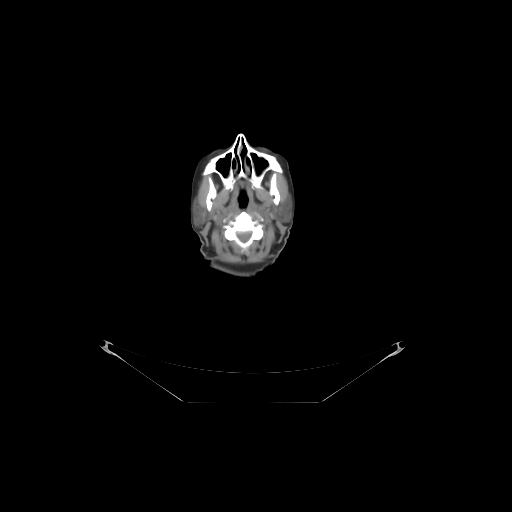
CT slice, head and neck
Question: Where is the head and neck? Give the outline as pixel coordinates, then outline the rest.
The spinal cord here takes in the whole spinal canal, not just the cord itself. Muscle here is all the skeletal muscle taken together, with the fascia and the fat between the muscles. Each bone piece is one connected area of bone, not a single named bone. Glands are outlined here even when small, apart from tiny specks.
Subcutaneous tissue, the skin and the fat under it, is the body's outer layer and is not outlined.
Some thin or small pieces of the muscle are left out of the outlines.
Answer: The head and neck is outlined by [[238,135],[242,135],[250,146],[265,145],[285,156],[290,165],[296,199],[293,223],[286,245],[272,265],[256,276],[249,278],[234,277],[208,266],[208,261],[202,257],[199,249],[200,241],[191,227],[189,211],[191,180],[196,162],[216,148],[231,146]]; inner edges: [[228,155],[230,155],[230,157],[229,158],[229,165],[228,166],[228,171],[227,172],[227,174],[226,175],[224,175],[218,169],[217,166],[218,165],[218,162],[220,160],[221,160],[222,159],[225,158],[226,157],[226,156],[227,156]], then [[253,155],[254,155],[257,158],[258,158],[259,159],[261,159],[262,160],[263,160],[266,163],[266,165],[261,170],[261,171],[259,173],[257,173],[257,172],[256,171],[256,166],[255,165],[255,162],[254,161],[254,160],[253,159]], then [[242,194],[243,194],[243,195],[244,196],[245,196],[245,197],[246,198],[246,202],[245,203],[245,204],[242,204],[240,202],[240,197],[242,195]]. The bones appear in 2 outlined pieces: piece 1: [[238,135],[256,150],[276,157],[283,170],[276,174],[279,203],[274,204],[269,193],[273,172],[270,170],[261,182],[262,188],[253,188],[242,179],[232,189],[224,189],[220,178],[212,173],[216,195],[208,211],[208,176],[202,172],[207,162],[227,150]], around holes outlined by [[228,155],[230,155],[230,157],[229,158],[229,165],[228,166],[228,171],[227,172],[227,174],[226,175],[224,175],[218,169],[217,166],[218,165],[218,162],[220,160],[221,160],[222,159],[225,158],[226,157],[226,156],[227,156]] and by [[253,155],[254,155],[257,158],[258,158],[259,159],[261,159],[262,160],[263,160],[266,163],[266,165],[261,170],[261,171],[259,173],[257,173],[257,172],[256,171],[256,166],[255,165],[255,162],[254,161],[254,160],[253,159]]; piece 2: [[243,210],[249,213],[254,219],[257,217],[257,214],[263,219],[261,222],[263,235],[259,240],[254,240],[251,243],[247,249],[247,254],[243,253],[242,249],[233,240],[228,240],[224,236],[225,229],[223,226],[225,223],[223,220],[225,218],[232,220]] with a hole at [[242,232],[250,232],[250,236],[245,241],[243,241],[242,240],[241,240],[238,237],[238,236],[237,235],[237,234],[238,233],[241,233]]. The muscle appears in 3 outlined pieces: piece 1: [[270,171],[268,193],[273,197],[273,204],[269,207],[286,227],[281,241],[262,262],[234,264],[214,259],[214,253],[200,232],[209,220],[208,212],[217,195],[211,175],[219,178],[224,190],[232,190],[242,180],[249,182],[253,189],[262,189],[262,182]]; inner edge: [[243,210],[249,213],[254,219],[257,217],[257,214],[263,219],[261,222],[263,235],[259,240],[254,240],[251,243],[247,249],[247,254],[243,253],[242,249],[233,240],[228,240],[224,236],[225,229],[223,226],[225,223],[223,220],[225,218],[232,220]]; piece 2: [[207,160],[208,160],[204,165],[201,174],[203,176],[207,176],[208,187],[204,199],[205,206],[201,206],[198,204],[198,198],[196,195],[198,190],[198,184],[200,180],[200,173],[202,169],[202,166]]; piece 3: [[284,170],[284,174],[285,175],[285,177],[287,181],[287,186],[288,187],[288,191],[289,193],[280,203],[280,199],[281,198],[281,196],[280,195],[280,192],[279,191],[279,189],[277,185],[277,174],[278,173],[279,174],[282,174],[284,172]]. The parotid glands appear in 2 outlined pieces: piece 1: [[289,194],[290,194],[291,195],[291,197],[290,198],[292,200],[292,215],[291,216],[291,217],[289,219],[289,222],[287,224],[283,224],[272,212],[272,210],[271,209],[270,206],[271,205],[275,205],[276,206],[277,205],[279,205],[287,197],[287,196]]; piece 2: [[195,197],[196,197],[197,198],[197,204],[199,206],[200,206],[201,207],[205,207],[206,208],[206,210],[208,213],[208,220],[206,222],[206,223],[200,229],[197,229],[195,227],[195,226],[194,225],[194,223],[192,221],[192,213],[193,212],[193,200]]. The spinal cord is outlined by [[242,232],[250,232],[250,236],[245,241],[243,241],[242,240],[241,240],[238,237],[238,236],[237,235],[237,234],[238,233],[241,233]].